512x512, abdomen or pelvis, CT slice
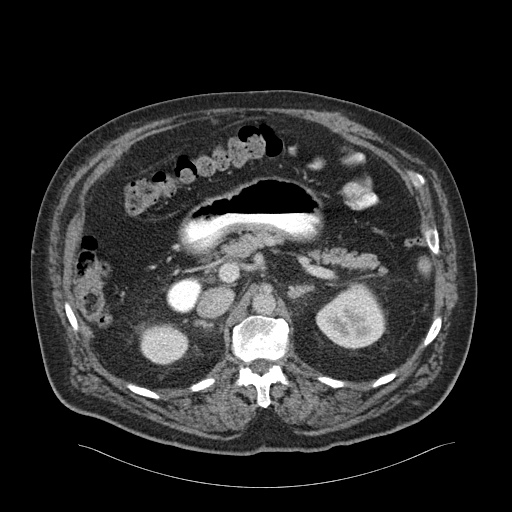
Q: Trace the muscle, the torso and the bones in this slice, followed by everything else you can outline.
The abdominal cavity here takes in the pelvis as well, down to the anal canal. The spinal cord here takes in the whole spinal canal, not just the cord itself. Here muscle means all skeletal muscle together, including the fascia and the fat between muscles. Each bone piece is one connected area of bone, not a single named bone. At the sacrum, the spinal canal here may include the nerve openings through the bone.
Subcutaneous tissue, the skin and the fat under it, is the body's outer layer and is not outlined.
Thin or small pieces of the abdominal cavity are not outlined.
A: {"muscle":[{"outer":[[229,106],[339,112],[422,160],[439,180],[456,245],[458,294],[449,317],[441,369],[425,388],[375,417],[343,429],[301,436],[266,409],[272,402],[270,387],[290,383],[280,361],[289,349],[291,332],[295,353],[322,374],[315,379],[324,385],[336,389],[346,387],[348,381],[374,380],[369,385],[374,389],[392,381],[397,376],[394,370],[422,341],[423,347],[429,345],[442,327],[442,316],[434,317],[436,270],[432,256],[441,250],[439,232],[434,223],[422,228],[417,200],[400,174],[383,158],[325,125],[276,111],[246,110],[213,115],[148,135],[131,144],[91,184],[84,197],[84,223],[71,269],[73,304],[89,347],[99,362],[111,374],[126,381],[125,386],[135,394],[159,400],[161,396],[153,390],[156,389],[187,387],[194,393],[212,386],[216,378],[206,376],[222,359],[228,344],[241,362],[233,385],[253,385],[255,402],[263,409],[245,435],[237,439],[215,439],[184,432],[85,394],[70,382],[72,363],[65,330],[54,308],[47,267],[52,219],[70,175],[106,143],[132,128],[183,112]],"holes":[[[407,169],[411,169],[412,170],[417,171],[421,173],[424,176],[426,180],[426,182],[423,186],[423,190],[424,191],[424,193],[422,197],[420,195],[419,192],[414,187],[414,186],[412,184],[406,172],[406,170]],[[66,301],[67,301],[70,304],[73,310],[73,312],[76,317],[76,319],[78,323],[78,326],[79,327],[77,331],[74,331],[74,330],[72,328],[66,316],[66,313],[65,312],[65,308],[64,307],[64,303]]]}],"torso":[[[271,89],[319,93],[383,112],[416,129],[443,157],[464,205],[477,273],[472,337],[453,387],[439,406],[417,423],[317,452],[263,451],[240,456],[192,451],[142,438],[71,410],[48,381],[30,289],[35,221],[60,161],[85,134],[132,109],[193,94]]],"bones":[{"outer":[[250,315],[282,318],[289,327],[288,349],[279,361],[289,383],[285,385],[276,382],[270,385],[269,396],[271,402],[266,408],[257,404],[257,390],[253,384],[248,384],[246,386],[234,385],[238,377],[239,366],[242,362],[231,350],[232,330],[237,324]],"hole":[[259,358],[266,359],[267,360],[269,360],[270,361],[272,361],[273,362],[273,363],[268,369],[268,370],[263,373],[258,373],[257,372],[255,372],[254,371],[253,371],[252,368],[250,366],[250,364],[253,360],[255,360],[256,359],[258,359]]},[[433,224],[434,224],[436,227],[436,229],[438,232],[438,236],[439,237],[439,248],[440,250],[438,254],[434,254],[432,253],[430,248],[428,246],[426,242],[426,240],[422,232],[422,229],[424,228],[426,228],[427,227],[429,227]],[[438,315],[440,315],[441,316],[441,318],[442,319],[442,321],[441,322],[441,327],[440,328],[437,335],[435,337],[435,338],[429,344],[428,344],[426,346],[423,346],[422,345],[423,340],[432,323],[432,321],[433,320],[433,319],[436,316],[437,316]],[[407,169],[411,169],[412,170],[417,171],[421,173],[424,176],[426,180],[426,182],[423,186],[423,190],[424,191],[424,193],[422,197],[420,195],[419,192],[414,187],[414,186],[412,184],[406,172],[406,170]],[[128,382],[130,382],[131,383],[136,384],[139,386],[141,386],[142,387],[147,388],[150,390],[152,390],[157,393],[160,396],[160,398],[159,399],[154,399],[153,398],[146,397],[145,396],[140,395],[137,393],[135,393],[130,390],[126,386],[126,383]],[[320,375],[323,375],[324,376],[328,376],[329,377],[331,377],[335,379],[338,379],[339,380],[344,380],[345,381],[347,381],[348,384],[346,386],[344,386],[343,387],[337,387],[336,388],[333,388],[317,380],[316,379],[316,377]],[[208,377],[213,377],[214,378],[215,378],[215,382],[212,385],[211,385],[204,389],[202,389],[201,390],[199,390],[198,391],[195,391],[194,392],[193,391],[191,391],[190,390],[189,390],[188,387],[190,385],[191,385],[204,378],[207,378]],[[66,301],[67,301],[70,304],[73,310],[73,312],[76,317],[76,319],[78,323],[78,326],[79,327],[77,331],[74,331],[74,330],[72,328],[66,316],[66,313],[65,312],[65,308],[64,307],[64,303]],[[392,371],[395,371],[396,372],[396,376],[392,380],[391,380],[387,383],[382,384],[381,385],[380,385],[377,387],[375,387],[374,388],[373,387],[371,387],[370,386],[370,385],[376,379],[377,379],[379,377],[380,377],[387,373],[389,373]]],"abdominal_cavity":[[[246,111],[282,113],[325,126],[387,162],[416,200],[435,270],[433,318],[413,353],[393,370],[362,381],[324,375],[298,356],[284,318],[262,314],[237,323],[221,359],[185,387],[150,389],[127,381],[111,373],[90,347],[71,290],[90,187],[148,136]]],"spinal_cord":[[[259,358],[266,359],[267,360],[269,360],[270,361],[272,361],[273,362],[273,363],[268,369],[268,370],[263,373],[258,373],[257,372],[255,372],[254,371],[253,371],[252,368],[250,366],[250,364],[253,360],[255,360],[256,359],[258,359]]]}